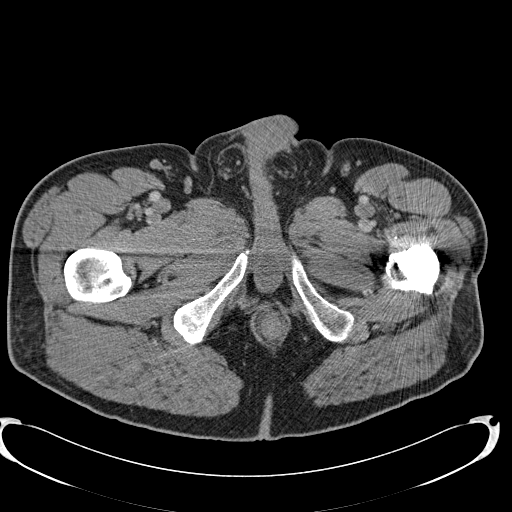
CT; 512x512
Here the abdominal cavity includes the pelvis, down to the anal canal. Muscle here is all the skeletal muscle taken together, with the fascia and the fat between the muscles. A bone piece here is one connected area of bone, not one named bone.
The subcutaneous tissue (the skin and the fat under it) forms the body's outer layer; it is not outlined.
The muscle appears in 3 outlined pieces: piece 1: (121, 166) (154, 173) (173, 203) (216, 198) (248, 222) (251, 250) (247, 286) (211, 337) (211, 346) (244, 382) (239, 404) (228, 413) (187, 416) (107, 400) (59, 376) (45, 364) (41, 346) (43, 301) (33, 280) (30, 250) (22, 237) (23, 223) (40, 196) (67, 177); inner edges: (85, 247) (94, 247) (95, 248) (111, 250) (119, 255) (122, 261) (122, 267) (124, 271) (130, 277) (132, 282) (130, 289) (125, 295) (106, 302) (80, 301) (75, 300) (71, 297) (65, 285) (65, 280) (63, 274) (63, 266) (65, 260) (70, 253) (79, 248) (84, 248), then (246, 249) (249, 249) (249, 253) (247, 255) (248, 258) (247, 265) (243, 277) (214, 312) (202, 340) (199, 343) (195, 344) (188, 343) (184, 340) (183, 337) (175, 329) (173, 325) (174, 312) (177, 308) (184, 303) (191, 301) (212, 289) (217, 282) (229, 270) (236, 257); piece 2: (386, 162) (422, 171) (441, 182) (475, 228) (469, 269) (452, 308) (446, 361) (435, 374) (410, 386) (362, 400) (315, 407) (304, 398) (300, 381) (328, 349) (306, 324) (290, 293) (284, 228) (295, 208) (316, 196) (336, 196) (351, 206) (355, 202) (355, 179) (368, 168), around holes outlined by (412, 238) (426, 242) (435, 252) (439, 261) (440, 266) (439, 274) (433, 286) (432, 292) (428, 295) (413, 290) (404, 291) (400, 289) (392, 289) (386, 287) (382, 283) (381, 280) (381, 275) (384, 272) (385, 264) (389, 255) (393, 252) (397, 252) (406, 248) (410, 244) and by (293, 253) (300, 260) (309, 280) (315, 289) (326, 300) (333, 304) (335, 304) (342, 309) (348, 310) (354, 316) (354, 323) (349, 333) (349, 335) (342, 342) (332, 342) (323, 337) (310, 320) (306, 308) (292, 280) (292, 275) (291, 274) (291, 257); piece 3: (268, 296) (271, 296) (276, 299) (284, 307) (292, 323) (292, 327) (290, 331) (284, 340) (282, 346) (280, 347) (275, 353) (275, 356) (273, 356) (270, 353) (268, 349) (263, 346) (255, 339) (253, 334) (250, 330) (247, 321) (247, 313) (250, 309) (259, 299); inner edge: (267, 306) (274, 306) (279, 309) (279, 310) (285, 318) (285, 321) (287, 325) (285, 329) (283, 331) (283, 333) (281, 334) (277, 341) (273, 343) (268, 343) (266, 341) (265, 341) (256, 331) (256, 329) (254, 327) (254, 324) (252, 322) (255, 313) (256, 313) (260, 309). The abdominal cavity is outlined by (267, 306) (274, 306) (279, 309) (279, 310) (285, 318) (285, 321) (287, 325) (285, 329) (283, 331) (283, 333) (281, 334) (277, 341) (273, 343) (268, 343) (266, 341) (265, 341) (256, 331) (256, 329) (254, 327) (254, 324) (252, 322) (255, 313) (256, 313) (260, 309). The torso is outlined by (275, 113) (297, 122) (297, 139) (328, 147) (365, 137) (419, 154) (470, 193) (487, 231) (477, 277) (484, 338) (463, 376) (349, 427) (271, 441) (223, 441) (98, 415) (12, 365) (6, 339) (12, 231) (24, 198) (42, 177) (105, 149) (166, 142) (192, 152) (211, 135). The bones appear in 4 outlined pieces: piece 1: (85, 247) (94, 247) (95, 248) (111, 250) (119, 255) (122, 261) (122, 267) (124, 271) (130, 277) (132, 282) (130, 289) (125, 295) (106, 302) (80, 301) (75, 300) (71, 297) (65, 285) (65, 280) (63, 274) (63, 266) (65, 260) (70, 253) (79, 248) (84, 248); piece 2: (246, 249) (249, 249) (249, 253) (247, 255) (248, 258) (247, 265) (243, 277) (214, 312) (202, 340) (199, 343) (195, 344) (188, 343) (184, 340) (183, 337) (175, 329) (173, 325) (174, 312) (177, 308) (184, 303) (191, 301) (212, 289) (217, 282) (229, 270) (236, 257); piece 3: (412, 238) (426, 242) (435, 252) (439, 261) (440, 266) (439, 274) (433, 286) (432, 292) (428, 295) (413, 290) (404, 291) (400, 289) (392, 289) (386, 287) (382, 283) (381, 280) (381, 275) (384, 272) (385, 264) (389, 255) (393, 252) (397, 252) (406, 248) (410, 244); piece 4: (293, 253) (300, 260) (309, 280) (315, 289) (326, 300) (333, 304) (335, 304) (342, 309) (348, 310) (354, 316) (354, 323) (349, 333) (349, 335) (342, 342) (332, 342) (323, 337) (310, 320) (306, 308) (292, 280) (292, 275) (291, 274) (291, 257).